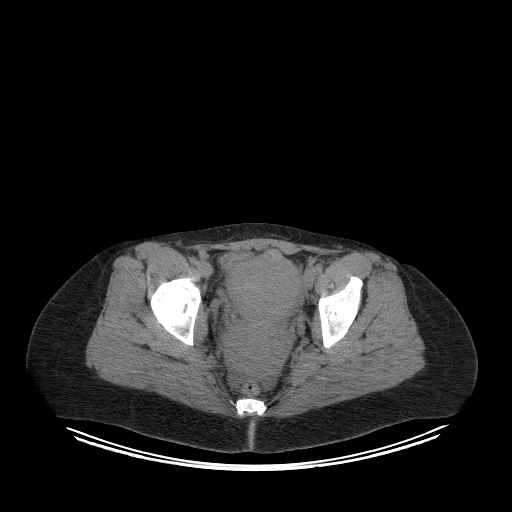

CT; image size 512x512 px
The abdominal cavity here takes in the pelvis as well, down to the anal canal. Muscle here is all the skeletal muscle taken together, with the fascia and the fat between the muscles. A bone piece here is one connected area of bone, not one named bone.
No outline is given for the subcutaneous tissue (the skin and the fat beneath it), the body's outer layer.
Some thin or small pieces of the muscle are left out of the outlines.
{"bones":[[[180,277],[193,278],[193,282],[200,288],[201,302],[199,305],[194,322],[193,345],[191,346],[187,345],[182,341],[177,339],[169,333],[157,321],[150,306],[150,300],[148,295],[150,292],[152,293],[156,289],[160,282],[164,280],[171,280],[174,278]],[[350,275],[357,276],[363,281],[363,285],[361,288],[361,299],[359,308],[355,318],[344,336],[333,345],[328,348],[326,348],[323,346],[322,342],[321,325],[318,311],[318,300],[320,296],[322,295],[326,296],[343,288],[349,280],[349,276]],[[250,398],[258,398],[262,400],[265,403],[266,405],[266,409],[264,411],[263,414],[261,416],[258,415],[255,412],[253,412],[251,414],[248,414],[246,413],[243,417],[241,417],[237,413],[237,410],[235,406],[233,404],[233,403],[237,399],[249,399]]],"abdominal_cavity":[[[268,247],[288,255],[301,251],[327,255],[332,261],[315,280],[317,309],[310,324],[312,341],[294,354],[272,401],[267,402],[262,397],[232,401],[218,380],[217,357],[207,332],[208,312],[202,301],[200,270],[184,253],[188,249],[249,251]]],"muscle":[[[254,237],[367,250],[394,264],[425,346],[423,368],[393,387],[297,415],[244,417],[264,414],[259,398],[273,401],[295,354],[313,341],[316,310],[324,348],[345,336],[364,281],[350,274],[316,301],[316,280],[330,255],[273,246],[188,248],[183,254],[199,270],[201,291],[191,276],[164,279],[147,294],[149,306],[169,334],[191,347],[203,303],[217,380],[242,418],[98,377],[85,364],[85,350],[118,256],[146,241]]],"torso":[[[243,222],[276,223],[358,240],[414,266],[426,275],[462,315],[477,352],[476,382],[459,410],[444,418],[410,420],[356,438],[279,453],[216,452],[156,439],[115,425],[58,417],[25,365],[26,348],[33,324],[56,290],[95,252],[109,245],[136,238]]]}